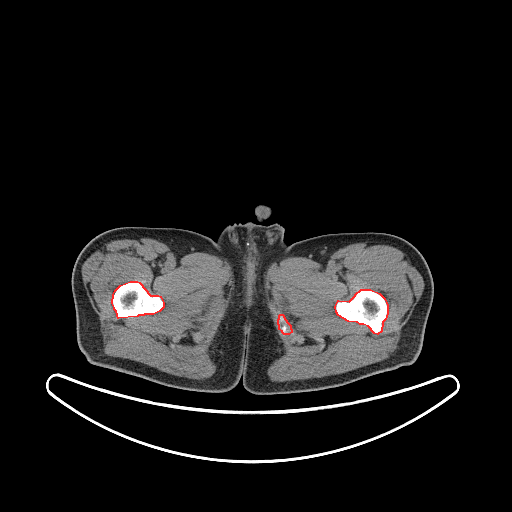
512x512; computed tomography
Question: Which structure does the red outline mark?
Answer: red: bones.
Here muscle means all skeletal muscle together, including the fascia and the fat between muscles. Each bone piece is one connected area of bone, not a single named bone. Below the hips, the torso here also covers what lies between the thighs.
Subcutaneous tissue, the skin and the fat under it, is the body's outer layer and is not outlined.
{"bones":[[[361,289],[370,289],[379,293],[384,298],[386,302],[387,305],[387,313],[385,319],[382,322],[381,331],[377,334],[374,333],[368,326],[363,324],[360,324],[357,322],[348,321],[338,315],[336,312],[335,306],[338,300],[349,301],[355,295],[355,294]],[[130,281],[137,281],[139,282],[150,295],[158,295],[160,296],[163,302],[163,307],[159,311],[153,314],[144,314],[143,315],[138,315],[137,316],[118,318],[116,311],[114,309],[114,307],[112,303],[113,294],[115,290],[120,285]],[[280,314],[282,314],[283,315],[283,316],[284,317],[284,318],[286,320],[286,321],[290,325],[290,328],[291,329],[291,332],[288,334],[284,334],[282,332],[282,331],[279,329],[279,325],[278,324],[278,319],[279,318],[279,315]]],"muscle":[{"outer":[[363,241],[389,243],[403,249],[424,282],[422,294],[401,330],[398,348],[383,360],[340,374],[301,380],[272,381],[267,374],[267,369],[283,352],[280,350],[282,344],[266,303],[264,272],[267,265],[275,259],[291,256],[307,256],[321,262],[337,249]],"holes":[[[361,289],[370,289],[379,293],[384,298],[386,302],[387,305],[387,313],[385,319],[382,322],[381,331],[377,334],[374,333],[368,326],[363,324],[360,324],[357,322],[348,321],[338,315],[336,312],[335,306],[338,300],[349,301],[355,295],[355,294]],[[280,314],[282,314],[283,315],[283,316],[284,317],[284,318],[286,320],[286,321],[290,325],[290,328],[291,329],[291,332],[288,334],[284,334],[282,332],[282,331],[279,329],[279,325],[278,324],[278,319],[279,318],[279,315]]]},{"outer":[[113,236],[148,237],[163,242],[177,251],[207,252],[224,258],[229,263],[233,273],[234,288],[225,319],[216,339],[213,360],[216,370],[213,375],[204,379],[177,376],[137,361],[110,356],[103,352],[99,319],[84,287],[81,270],[86,259],[106,240]],"hole":[[130,281],[137,281],[139,282],[150,295],[158,295],[160,296],[163,302],[163,307],[159,311],[153,314],[144,314],[143,315],[138,315],[137,316],[118,318],[116,311],[114,309],[114,307],[112,303],[113,294],[115,290],[120,285]]}],"left_leg":[[[342,232],[393,234],[410,242],[424,257],[433,279],[433,301],[425,326],[421,351],[412,364],[371,375],[345,385],[316,391],[282,394],[270,385],[264,371],[267,362],[278,353],[279,346],[263,309],[261,272],[270,257],[284,242],[291,244],[314,236]]],"right_leg":[[[124,226],[182,228],[191,230],[216,240],[230,260],[237,276],[239,295],[219,369],[213,381],[204,391],[190,391],[169,387],[141,377],[94,365],[86,359],[78,346],[76,337],[76,313],[71,289],[71,276],[75,260],[82,248],[96,235],[112,228]]],"torso":[[[258,204],[271,208],[262,225],[278,223],[284,228],[285,241],[260,272],[262,309],[278,346],[263,371],[269,385],[281,394],[253,394],[241,381],[229,391],[202,392],[220,369],[240,295],[238,276],[216,239],[228,225],[258,223],[254,212]]]}